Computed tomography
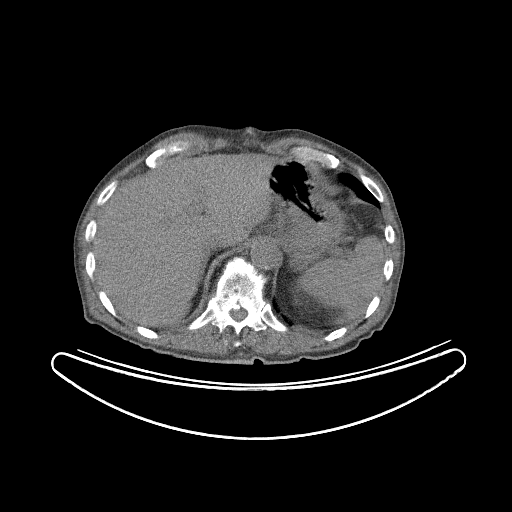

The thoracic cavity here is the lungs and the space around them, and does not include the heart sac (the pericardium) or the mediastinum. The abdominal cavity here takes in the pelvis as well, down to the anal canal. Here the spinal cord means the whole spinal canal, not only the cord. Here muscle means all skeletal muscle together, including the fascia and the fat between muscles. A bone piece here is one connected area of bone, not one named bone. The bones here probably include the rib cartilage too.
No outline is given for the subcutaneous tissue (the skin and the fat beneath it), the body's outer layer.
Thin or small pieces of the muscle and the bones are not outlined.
abdominal cavity: 241 145; 274 154; 289 151; 317 162; 333 182; 380 206; 383 276; 365 310; 327 333; 295 325; 272 293; 277 250; 258 241; 224 262; 205 308; 188 323; 156 331; 126 319; 95 272; 94 238; 104 204; 136 170; 154 168; 180 152
muscle: 188 131; 202 133; 206 136; 211 136; 212 137; 222 136; 235 139; 238 138; 242 134; 251 134; 252 133; 256 134; 259 138; 265 140; 271 140; 288 136; 296 136; 300 138; 305 138; 313 140; 316 142; 319 142; 334 149; 343 156; 345 156; 350 160; 357 163; 369 173; 373 175; 380 182; 387 194; 390 206; 398 227; 399 231; 398 233; 400 241; 399 264; 397 268; 395 278; 393 281; 390 301; 383 316; 380 320; 371 326; 364 333; 362 333; 354 339; 352 339; 348 342; 332 349; 322 350; 321 351; 306 351; 290 355; 277 355; 275 353; 271 355; 261 353; 248 353; 245 355; 244 354; 237 354; 236 353; 237 352; 234 351; 232 353; 229 353; 222 356; 221 355; 199 353; 190 350; 179 350; 151 344; 126 334; 112 327; 105 322; 95 318; 89 311; 86 292; 84 287; 84 282; 81 275; 80 264; 79 263; 78 237; 80 232; 80 228; 85 215; 93 199; 101 188; 114 174; 122 169; 131 161; 142 155; 158 141; 170 135 with a hole at 177 140; 190 142; 185 151; 190 153; 244 145; 284 154; 294 146; 307 146; 337 157; 336 170; 358 179; 360 171; 372 179; 383 196; 383 225; 389 224; 395 234; 392 243; 385 242; 385 258; 392 259; 393 271; 388 280; 381 277; 375 310; 366 318; 364 311; 345 326; 342 336; 330 341; 323 338; 326 333; 298 325; 288 325; 284 332; 244 326; 237 335; 230 325; 219 332; 210 322; 193 330; 187 323; 160 329; 158 338; 149 338; 133 321; 109 312; 99 298; 102 287; 96 273; 92 280; 85 269; 87 253; 94 251; 94 240; 85 239; 86 226; 92 219; 98 221; 103 206; 97 199; 107 185; 146 167; 148 155
thoracic cavity 1: 344 173; 349 173; 357 178; 361 182; 365 188; 378 201; 380 205; 379 206; 377 206; 373 203; 360 197; 360 196; 358 195; 358 194; 356 193; 356 192; 351 187; 348 185; 346 185; 340 181; 339 177; 340 175
thoracic cavity 2: 273 297; 277 301; 279 305; 279 307; 281 311; 283 313; 283 314; 290 320; 291 320; 294 323; 294 325; 288 325; 284 322; 283 322; 281 320; 280 320; 277 317; 277 316; 274 313; 273 311; 273 308; 270 302; 270 301; 272 300
spinal cord: 240 308; 242 308; 243 309; 244 309; 246 311; 246 312; 247 313; 247 314; 246 315; 246 316; 243 319; 242 319; 241 320; 240 320; 239 321; 237 321; 236 320; 235 320; 230 315; 230 311; 232 309; 234 309; 235 310; 238 310
torso: 188 124; 307 130; 355 152; 382 175; 391 190; 402 223; 405 257; 395 305; 381 330; 341 355; 270 365; 255 359; 251 365; 242 365; 193 361; 155 353; 85 320; 74 273; 72 245; 75 226; 87 198; 105 173; 126 154; 162 131
bones 1: 236 255; 244 257; 267 277; 264 298; 270 303; 276 317; 287 326; 286 331; 277 331; 269 326; 255 331; 244 326; 237 335; 230 325; 219 332; 218 328; 210 322; 193 330; 187 328; 188 324; 206 308; 215 292; 216 280; 225 262 with a hole at 240 308; 242 308; 243 309; 244 309; 246 311; 246 312; 247 313; 247 314; 246 315; 246 316; 243 319; 242 319; 241 320; 240 320; 239 321; 237 321; 236 320; 235 320; 230 315; 230 311; 232 309; 234 309; 235 310; 238 310
bones 2: 294 146; 307 146; 313 149; 316 149; 323 152; 330 153; 337 157; 339 159; 340 163; 336 168; 328 168; 325 166; 321 165; 321 164; 317 161; 314 161; 313 160; 308 160; 307 159; 305 159; 303 157; 295 155; 290 151; 290 149
bones 3: 177 140; 186 140; 190 142; 191 143; 191 145; 187 150; 176 152; 172 155; 169 155; 166 157; 164 157; 163 159; 162 159; 157 164; 157 165; 154 167; 148 167; 145 164; 145 159; 146 157; 153 151; 166 144; 168 144
bones 4: 359 171; 360 171; 366 176; 367 176; 371 179; 372 179; 376 183; 376 184; 380 189; 380 190; 382 193; 382 195; 383 196; 383 201; 382 202; 379 202; 379 201; 366 188; 366 187; 359 179; 359 174; 358 173; 358 172
bones 5: 114 180; 116 180; 118 182; 118 184; 117 185; 116 188; 114 190; 113 193; 109 197; 109 198; 102 205; 98 205; 97 204; 97 199; 98 198; 98 197; 99 196; 100 193; 103 190; 103 189; 107 185; 108 185; 112 181; 113 181
bones 6: 89 251; 92 251; 93 252; 93 254; 94 255; 94 259; 95 260; 95 270; 94 271; 94 273; 93 274; 93 279; 92 280; 89 277; 89 276; 87 274; 87 272; 85 269; 85 262; 86 261; 86 256; 87 255; 87 253
bones 7: 100 290; 103 290; 105 292; 106 295; 110 300; 113 307; 115 309; 115 310; 117 313; 117 316; 118 317; 116 317; 115 316; 114 316; 110 312; 109 312; 103 305; 103 304; 100 300; 100 299; 99 298; 99 296; 98 295; 98 292
bones 8: 92 219; 94 219; 96 221; 96 230; 95 231; 95 234; 94 235; 94 237; 93 238; 93 239; 92 240; 91 240; 90 241; 87 241; 85 239; 85 229; 86 228; 86 226; 87 225; 87 224; 90 221; 90 220; 91 220
bones 9: 343 326; 345 326; 347 329; 346 330; 345 333; 342 336; 341 336; 340 337; 338 337; 337 338; 336 338; 333 340; 331 340; 330 341; 327 341; 323 338; 324 337; 324 336; 328 333; 329 333; 338 328; 340 328
bones 10: 137 325; 139 325; 140 326; 143 326; 146 328; 148 328; 149 329; 151 329; 152 330; 155 331; 158 334; 159 337; 158 338; 149 338; 148 337; 146 337; 145 336; 143 336; 141 334; 140 334; 136 330; 136 326
bones 11: 376 294; 377 295; 378 295; 378 296; 380 299; 380 300; 379 301; 379 304; 377 306; 377 307; 375 309; 375 310; 368 317; 365 318; 364 317; 364 315; 365 314; 365 311; 366 310; 369 303; 371 301; 371 300; 373 298; 373 297
bones 12: 388 258; 391 258; 392 259; 392 261; 393 262; 393 271; 392 272; 392 274; 391 275; 390 278; 388 280; 386 280; 385 279; 385 278; 384 277; 384 275; 383 274; 383 266; 384 265; 384 263; 385 262; 386 259; 387 259
bones 13: 387 224; 389 224; 392 227; 392 228; 393 229; 393 230; 394 231; 394 233; 395 234; 395 237; 394 238; 394 241; 392 243; 388 243; 386 241; 386 239; 385 238; 385 236; 384 235; 384 227; 385 226; 385 225; 386 225
mediastinum 1: 258 242; 268 243; 272 245; 276 250; 277 253; 277 260; 272 270; 272 278; 270 283; 272 298; 269 301; 268 301; 268 299; 265 296; 266 284; 269 279; 268 277; 263 272; 259 271; 244 256; 238 255; 242 250; 249 248
mediastinum 2: 329 169; 335 169; 338 171; 345 171; 346 172; 347 172; 344 172; 343 173; 340 174; 338 177; 338 179; 339 180; 339 181; 345 185; 342 185; 341 184; 339 184; 338 183; 337 183; 336 182; 333 181; 328 174; 328 171; 329 170